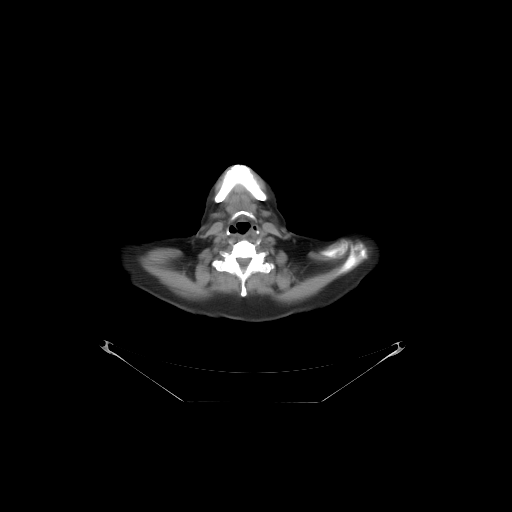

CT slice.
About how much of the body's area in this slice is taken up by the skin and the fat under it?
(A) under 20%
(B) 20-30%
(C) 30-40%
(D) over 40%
(C) 30-40%
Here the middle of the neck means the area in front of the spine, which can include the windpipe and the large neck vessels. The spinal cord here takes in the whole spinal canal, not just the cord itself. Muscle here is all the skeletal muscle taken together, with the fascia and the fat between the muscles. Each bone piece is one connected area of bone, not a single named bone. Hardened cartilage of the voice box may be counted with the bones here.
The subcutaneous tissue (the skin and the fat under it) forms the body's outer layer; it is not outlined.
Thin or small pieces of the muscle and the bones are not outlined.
{"bones":[{"outer":[[241,239],[252,243],[260,239],[256,250],[267,251],[264,260],[274,264],[268,273],[254,272],[246,279],[247,294],[244,297],[240,295],[239,278],[226,271],[218,271],[211,264],[213,260],[223,258],[220,251],[229,252],[232,249],[229,240],[234,243]],"hole":[[238,258],[248,258],[249,259],[249,261],[248,262],[248,263],[247,264],[247,265],[244,268],[242,268],[240,266],[240,265],[239,264],[239,263],[238,262],[238,261],[237,260],[237,259]]},[[234,164],[244,164],[251,168],[255,174],[255,179],[257,181],[260,188],[266,194],[266,199],[265,200],[263,201],[262,200],[258,200],[256,199],[242,185],[237,184],[222,201],[220,202],[215,202],[214,201],[214,196],[221,186],[222,178],[225,171]],[[340,239],[345,239],[349,242],[355,242],[356,241],[361,241],[363,242],[367,250],[367,258],[362,261],[350,271],[338,275],[337,274],[337,271],[347,257],[347,254],[346,253],[344,255],[339,257],[329,257],[323,255],[321,253],[321,251],[332,243]],[[241,210],[243,210],[244,211],[247,211],[248,212],[250,212],[255,217],[255,219],[252,219],[245,215],[240,215],[239,216],[238,216],[235,219],[234,219],[233,220],[231,220],[231,217],[232,216],[232,215],[234,213],[235,213],[238,211],[240,211]]],"head_and_neck":[[[236,162],[242,162],[244,164],[246,164],[270,182],[277,195],[277,203],[276,204],[267,206],[266,207],[252,208],[251,209],[224,209],[218,207],[213,207],[205,203],[205,198],[208,192],[208,190],[216,178],[218,177],[224,169],[228,166],[234,164]]],"middle_of_the_neck":[[[240,216],[245,216],[253,220],[253,221],[255,222],[255,224],[257,226],[257,228],[259,231],[257,230],[255,232],[256,234],[255,235],[247,238],[238,239],[230,236],[231,232],[229,230],[227,230],[226,232],[226,228],[228,227],[232,221],[235,220]]],"torso":[[[204,203],[224,210],[251,210],[277,204],[287,227],[307,236],[331,238],[345,231],[362,230],[373,235],[379,242],[381,260],[355,289],[323,309],[266,322],[190,314],[131,285],[120,268],[115,248],[120,240],[127,237],[150,240],[195,233],[204,211]]],"muscle":[[[256,176],[267,188],[276,223],[297,242],[312,247],[331,243],[320,253],[329,258],[346,254],[336,271],[338,276],[346,274],[314,296],[296,303],[283,304],[268,296],[247,296],[247,279],[254,273],[268,274],[275,264],[265,260],[267,250],[257,250],[260,238],[254,242],[248,239],[258,235],[260,230],[254,221],[256,217],[243,209],[231,215],[231,222],[225,228],[225,234],[237,240],[229,239],[231,249],[220,250],[222,258],[210,263],[218,272],[238,278],[240,296],[218,294],[206,300],[188,300],[176,295],[139,265],[137,255],[148,249],[177,247],[198,239],[214,210],[211,198],[221,178],[213,196],[215,203],[222,202],[237,185],[256,200],[265,201],[267,194]],[[341,238],[350,238],[351,239],[353,239],[354,238],[359,238],[363,241],[367,242],[367,243],[372,248],[372,253],[369,259],[359,265],[362,262],[363,262],[368,258],[368,250],[367,249],[366,245],[364,243],[364,242],[361,240],[349,241],[345,238]]],"spinal_cord":[[[238,258],[248,258],[249,259],[249,261],[248,262],[248,263],[247,264],[247,265],[244,268],[242,268],[240,266],[240,265],[239,264],[239,263],[238,262],[238,261],[237,260],[237,259]]]}